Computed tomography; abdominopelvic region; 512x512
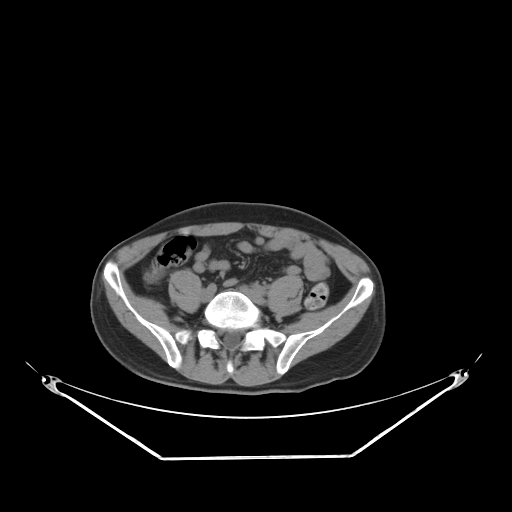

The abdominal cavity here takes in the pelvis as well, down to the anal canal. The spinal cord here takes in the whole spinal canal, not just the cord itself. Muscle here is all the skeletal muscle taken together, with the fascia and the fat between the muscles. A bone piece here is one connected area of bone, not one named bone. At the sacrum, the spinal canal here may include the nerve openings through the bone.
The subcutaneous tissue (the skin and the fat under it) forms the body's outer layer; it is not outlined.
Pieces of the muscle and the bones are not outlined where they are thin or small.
{"spinal_cord":[[[220,329],[229,329],[230,330],[236,330],[237,329],[243,329],[244,330],[244,334],[243,335],[243,336],[242,337],[239,344],[235,347],[230,348],[229,347],[226,347],[224,345],[223,345],[223,342],[222,341],[222,339],[219,336],[218,336],[218,331]]],"muscle":[{"outer":[[215,222],[253,222],[290,227],[349,249],[362,258],[371,270],[375,282],[375,294],[372,301],[360,321],[346,336],[328,349],[302,360],[290,369],[294,358],[307,341],[320,334],[349,309],[357,306],[372,294],[373,280],[369,276],[362,276],[348,302],[318,327],[286,335],[277,330],[278,328],[297,320],[303,313],[319,312],[339,302],[352,285],[336,262],[320,245],[307,239],[263,235],[248,227],[219,236],[173,235],[166,237],[125,270],[125,278],[136,294],[159,301],[165,307],[168,319],[179,326],[196,326],[204,318],[208,326],[201,327],[195,332],[197,341],[202,348],[218,350],[221,346],[224,346],[230,350],[237,348],[241,352],[248,352],[262,351],[266,342],[274,348],[282,344],[275,363],[276,373],[282,376],[271,382],[243,386],[235,383],[232,379],[228,379],[221,384],[209,384],[183,376],[176,370],[182,364],[182,355],[177,342],[185,345],[192,338],[193,331],[190,328],[181,328],[172,334],[166,328],[142,316],[131,304],[124,291],[117,263],[108,259],[121,247],[146,236],[179,227]],"hole":[[230,359],[232,361],[232,363],[233,364],[233,372],[232,373],[229,373],[227,371],[227,369],[226,368],[226,365],[227,364],[227,362]]},[[284,276],[299,276],[301,278],[301,280],[303,283],[303,292],[301,296],[300,308],[294,313],[292,313],[289,315],[283,316],[281,318],[281,319],[279,321],[278,321],[275,318],[273,313],[268,307],[268,292],[269,291],[270,285],[277,279]],[[102,271],[103,278],[114,292],[120,297],[125,306],[133,314],[137,321],[144,326],[156,338],[163,350],[163,352],[165,355],[165,361],[166,363],[153,350],[128,331],[119,322],[112,309],[110,307],[107,300],[105,294],[105,290],[101,281],[101,273]],[[180,270],[192,271],[194,274],[199,278],[201,282],[201,286],[202,287],[201,288],[200,299],[199,300],[200,302],[199,304],[200,305],[196,311],[191,313],[180,309],[176,306],[171,301],[169,296],[169,292],[168,291],[169,276],[172,273],[174,273]]],"torso":[[[218,201],[275,203],[302,210],[335,227],[372,259],[381,274],[384,285],[386,326],[378,352],[361,372],[349,378],[295,393],[258,395],[212,393],[146,379],[129,371],[109,355],[94,331],[89,311],[91,282],[102,256],[119,241],[170,214],[192,206]]],"abdominal_cavity":[{"outer":[[243,228],[268,237],[307,240],[330,256],[351,285],[339,301],[322,310],[303,312],[297,319],[274,329],[264,323],[260,308],[245,293],[225,289],[209,300],[198,324],[183,326],[169,319],[159,300],[136,293],[126,278],[126,270],[166,238],[219,237]],"hole":[[284,276],[299,276],[301,278],[301,280],[303,283],[303,292],[301,296],[300,308],[294,313],[292,313],[289,315],[283,316],[281,318],[281,319],[279,321],[278,321],[275,318],[273,313],[268,307],[268,292],[269,291],[270,285],[277,279]]}],"bones":[[[362,277],[372,280],[371,294],[307,340],[283,375],[276,371],[282,343],[266,341],[262,350],[241,351],[236,347],[243,328],[220,328],[218,349],[198,341],[197,330],[209,326],[204,309],[219,292],[242,292],[259,308],[261,326],[288,336],[336,315]],[[108,260],[116,263],[123,291],[130,304],[142,317],[166,329],[172,335],[181,329],[190,329],[192,331],[191,338],[185,344],[178,341],[176,342],[181,355],[179,368],[175,369],[167,363],[166,355],[157,338],[138,321],[121,297],[104,278],[103,268]]]}